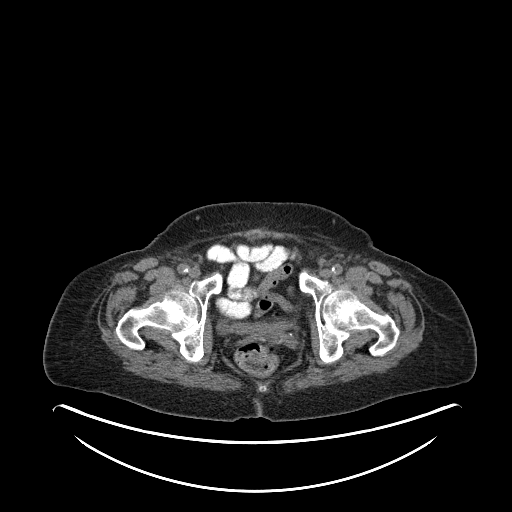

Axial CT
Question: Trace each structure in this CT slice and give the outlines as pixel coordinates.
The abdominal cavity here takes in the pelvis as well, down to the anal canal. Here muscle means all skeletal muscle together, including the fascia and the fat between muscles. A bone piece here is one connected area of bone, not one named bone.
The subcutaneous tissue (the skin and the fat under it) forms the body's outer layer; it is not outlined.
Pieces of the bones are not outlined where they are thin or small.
Answer: The abdominal cavity is outlined by 232 238; 244 238; 249 241; 264 238; 293 240; 309 245; 315 253; 315 260; 297 273; 298 288; 308 301; 301 352; 292 363; 267 379; 256 379; 231 363; 218 343; 211 325; 212 302; 222 291; 224 276; 208 263; 206 253; 211 245. The muscle is outlined by 257 227; 265 227; 268 229; 297 233; 305 236; 314 237; 320 239; 330 245; 338 246; 344 250; 357 254; 362 257; 366 257; 383 262; 392 266; 399 271; 401 276; 412 285; 413 290; 421 304; 421 307; 423 311; 425 319; 425 328; 423 332; 423 338; 422 341; 419 344; 419 346; 402 358; 397 365; 392 368; 390 368; 386 372; 363 375; 347 382; 341 382; 325 386; 309 387; 286 394; 280 394; 275 390; 268 393; 258 393; 253 389; 250 389; 248 387; 245 387; 241 390; 236 390; 231 392; 224 392; 217 390; 216 391; 215 390; 202 389; 201 388; 184 387; 177 384; 165 383; 157 380; 145 378; 136 375; 124 369; 122 367; 121 360; 101 339; 101 332; 97 325; 97 317; 100 304; 104 295; 105 289; 110 283; 111 277; 114 273; 125 263; 129 263; 135 260; 141 259; 151 255; 167 252; 172 248; 181 244; 193 242; 197 240; 201 240; 204 238; 217 234; 222 234; 231 231; 238 231; 239 230; 250 229; inner edges: 232 238; 309 245; 315 260; 304 269; 334 289; 351 290; 371 310; 389 314; 400 330; 395 346; 374 356; 369 347; 378 334; 356 329; 342 342; 342 355; 323 362; 315 304; 304 292; 301 352; 267 379; 236 367; 218 343; 210 317; 215 294; 208 300; 199 361; 187 361; 170 332; 152 326; 138 330; 143 349; 129 348; 114 331; 118 319; 219 272; 208 263; 207 250, then 260 385; 261 385; 262 385; 263 385; 264 385; 265 386; 266 386; 266 387; 267 388; 267 389; 267 390; 266 391; 265 392; 264 392; 263 392; 262 392; 261 392; 260 391; 259 391; 258 390; 258 389; 258 388; 258 387; 259 386. The bones appear in 2 outlined pieces: piece 1: 215 272; 222 274; 223 283; 221 291; 208 300; 203 329; 204 353; 199 361; 187 361; 179 343; 162 328; 141 327; 138 333; 145 346; 140 350; 129 348; 117 337; 114 331; 117 321; 129 309; 147 307; 172 289; 187 291; 192 281; piece 2: 301 270; 327 280; 334 289; 351 290; 371 310; 389 314; 400 330; 395 346; 382 356; 374 356; 369 347; 378 334; 372 329; 356 329; 342 342; 342 355; 332 363; 323 362; 319 356; 315 304; 311 295; 301 291; 298 284; 298 273. The torso is outlined by 230 201; 293 201; 323 206; 365 230; 379 249; 443 279; 457 294; 472 325; 477 348; 472 378; 447 388; 393 397; 348 413; 293 421; 183 417; 107 394; 52 383; 43 368; 43 345; 52 313; 69 281; 89 266; 144 247; 188 210.